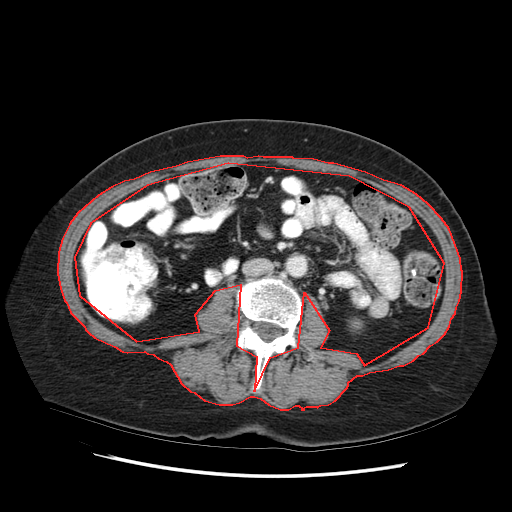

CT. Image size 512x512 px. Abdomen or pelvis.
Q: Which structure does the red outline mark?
A: red: muscle.
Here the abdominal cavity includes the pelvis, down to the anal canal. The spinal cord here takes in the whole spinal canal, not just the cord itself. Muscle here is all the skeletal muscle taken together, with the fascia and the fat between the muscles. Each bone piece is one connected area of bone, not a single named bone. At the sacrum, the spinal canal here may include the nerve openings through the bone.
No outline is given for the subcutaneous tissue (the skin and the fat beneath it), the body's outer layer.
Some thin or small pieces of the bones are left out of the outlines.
{"muscle":[{"outer":[[280,409],[288,409],[295,405],[298,405],[302,408],[301,409],[304,409],[302,408],[306,406],[316,406],[317,407],[320,405],[328,404],[335,400],[346,388],[348,385],[348,382],[357,375],[362,375],[369,372],[388,369],[399,365],[403,365],[413,360],[418,355],[423,353],[430,345],[437,341],[444,334],[449,326],[451,318],[455,313],[456,307],[459,301],[461,291],[462,271],[461,270],[460,258],[449,229],[441,218],[428,204],[416,194],[401,185],[383,180],[365,172],[333,163],[328,163],[313,159],[293,158],[292,157],[263,157],[258,156],[247,158],[243,156],[220,156],[187,162],[176,166],[150,172],[134,179],[124,181],[111,187],[98,195],[77,213],[69,224],[62,238],[58,252],[57,273],[60,288],[64,300],[66,302],[70,312],[84,326],[85,329],[88,332],[94,337],[114,346],[122,351],[127,352],[144,351],[147,353],[153,354],[158,358],[166,361],[170,364],[181,383],[190,391],[194,392],[204,400],[219,404],[232,404],[239,402],[250,396],[254,396],[260,398],[268,404]],"hole":[[254,391],[270,357],[298,347],[304,292],[329,330],[320,347],[356,353],[364,365],[428,327],[444,263],[409,207],[349,176],[228,163],[147,185],[90,223],[74,257],[79,295],[136,341],[199,331],[195,314],[215,290],[240,284],[236,345],[256,356]]}],"spinal_cord":[[[265,341],[270,341],[274,338],[283,334],[284,330],[280,328],[277,325],[273,324],[272,323],[268,323],[267,322],[262,322],[261,321],[259,322],[254,322],[252,326],[253,327],[254,331],[255,331],[258,334],[258,335],[263,340]]],"abdominal_cavity":[[[364,365],[387,358],[428,327],[445,281],[441,249],[430,228],[368,181],[269,162],[196,168],[128,194],[82,234],[73,264],[79,295],[94,317],[122,335],[154,344],[199,331],[195,314],[218,287],[274,276],[320,304],[329,330],[321,348],[351,351]]],"bones":[{"outer":[[254,391],[260,388],[270,357],[274,353],[283,353],[288,347],[298,347],[294,331],[303,312],[302,299],[291,283],[274,277],[244,283],[235,295],[236,305],[245,318],[244,326],[238,332],[236,345],[240,350],[252,350],[256,356],[256,371],[252,385]],"hole":[[265,341],[270,341],[274,338],[283,334],[284,330],[280,328],[277,325],[273,324],[272,323],[268,323],[267,322],[262,322],[261,321],[259,322],[254,322],[252,326],[253,327],[254,331],[255,331],[258,334],[258,335],[263,340]]}],"torso":[[[300,446],[359,442],[410,430],[458,410],[477,384],[498,332],[474,244],[451,200],[431,175],[392,147],[349,130],[307,121],[232,118],[190,123],[147,136],[101,161],[40,218],[4,296],[16,346],[42,397],[90,417],[153,434],[199,440],[255,433]]]}